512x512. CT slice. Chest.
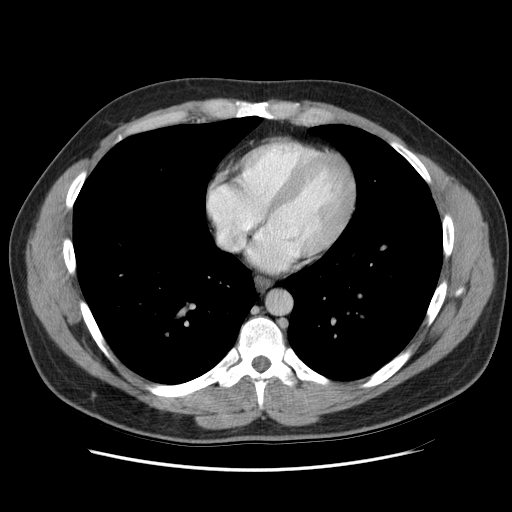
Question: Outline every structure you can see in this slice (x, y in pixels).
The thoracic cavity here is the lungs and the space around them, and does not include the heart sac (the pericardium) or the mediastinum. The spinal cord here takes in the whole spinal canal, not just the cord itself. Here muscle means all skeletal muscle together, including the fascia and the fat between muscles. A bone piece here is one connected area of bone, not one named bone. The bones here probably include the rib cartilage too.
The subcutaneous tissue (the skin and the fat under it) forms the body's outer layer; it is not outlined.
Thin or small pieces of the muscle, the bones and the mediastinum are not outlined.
Answer: Outlines (x, y in pixels):
pericardium: 272,277 289,275 321,257 339,236 355,208 355,180 351,167 344,156 327,142 310,138 291,130 269,130 250,138 236,148 218,167 209,182 206,194 206,218 210,227 215,232 218,245 226,251 239,253 249,267
spinal cord: 258,371 263,371 265,369 266,369 269,366 269,365 270,364 270,362 269,361 269,360 266,357 265,357 264,356 258,356 257,357 256,357 255,358 254,358 253,359 253,360 252,361 252,365
muscle: 207,429 242,426 267,416 286,426 310,424 383,393 451,351 475,324 495,283 488,224 473,194 399,136 362,115 325,102 266,100 297,101 301,110 325,108 336,116 332,123 351,124 385,141 402,143 428,169 440,217 447,211 451,214 455,236 451,255 443,257 438,281 448,281 445,301 430,326 424,318 408,344 413,346 412,355 396,373 371,388 360,386 368,377 332,380 326,386 298,381 293,387 272,377 266,380 264,408 260,410 248,376 229,388 216,383 185,397 166,398 147,391 144,385 153,382 114,355 110,361 95,344 79,310 78,301 84,299 77,275 67,272 61,253 63,238 72,234 72,210 64,203 67,188 81,170 90,173 118,133 142,119 179,109 187,113 184,122 215,120 201,110 205,100 242,99 191,100 151,111 120,124 90,157 68,167 48,191 26,242 27,293 35,314 58,347 89,374 151,407 185,414
bones 1: 260,409 263,408 265,380 272,376 289,386 298,380 324,385 331,383 330,379 307,366 286,343 277,325 263,316 244,322 236,343 205,373 179,384 145,385 156,395 177,397 216,382 229,387 248,375 253,379 with a hole at 258,371 263,371 265,369 266,369 269,366 269,365 270,364 270,362 269,361 269,360 266,357 265,357 264,356 258,356 257,357 256,357 255,358 254,358 253,359 253,360 252,361 252,365
bones 2: 305,126 331,123 335,116 332,112 321,108 310,108 301,111 299,109 299,103 297,102 269,103 267,101 249,102 244,100 232,102 211,99 205,101 202,105 202,110 215,119 256,115 269,119 291,118 296,124
bones 3: 115,143 120,141 125,137 135,133 138,133 142,131 146,131 150,129 154,129 166,125 183,122 185,120 186,113 180,110 178,111 173,111 161,115 154,116 137,122 128,127 123,133 118,134 115,139
bones 4: 362,387 371,387 372,386 375,386 381,383 396,372 406,362 411,355 412,353 412,350 411,349 412,348 412,346 411,345 410,346 407,346 389,362 385,364 377,371 373,373 369,377 369,378 361,385
bones 5: 110,360 112,360 112,358 113,357 113,353 111,351 111,350 109,349 109,347 107,345 86,302 84,300 81,299 79,301 79,306 80,307 80,310 81,311 84,322 87,326 93,339 95,341 98,347
bones 6: 428,184 429,184 431,182 431,178 430,177 430,175 427,169 425,167 425,166 416,156 416,155 399,142 395,140 388,140 387,142 396,151 397,151 401,155 402,155 409,162 409,163 416,170 416,171
bones 7: 428,325 430,325 431,324 437,315 444,301 445,295 446,294 446,290 447,289 447,281 446,279 442,279 438,283 434,291 434,293 431,298 429,305 427,308 427,311 426,312 426,315 425,317 426,318 426,321
bones 8: 445,257 449,256 451,253 451,251 453,247 453,237 454,236 454,226 453,225 453,221 450,214 447,212 444,214 443,217 441,219 441,221 442,222 442,230 443,231 443,243 442,244 443,245 443,255
bones 9: 68,209 72,209 73,207 73,204 74,203 74,201 87,176 87,172 85,170 83,170 81,171 73,179 73,180 71,182 68,188 68,191 66,195 66,200 65,201 66,206
bones 10: 70,274 75,274 76,272 76,264 75,263 75,255 74,254 74,251 73,250 72,241 70,238 66,237 64,238 62,242 62,253 63,254 63,257 64,258 64,261 65,262 66,267 68,270 68,272
thoracic cavity 1: 161,383 189,380 218,362 235,343 239,328 255,302 256,292 250,270 233,254 216,246 204,217 205,194 215,167 261,121 260,117 180,123 129,136 102,157 87,177 75,201 72,240 84,298 114,354 138,374
thoracic cavity 2: 342,381 369,376 412,338 437,284 443,256 442,231 428,185 402,156 365,130 345,124 325,124 311,128 310,132 329,141 348,160 356,180 356,208 324,255 284,280 294,300 285,335 287,343 307,365 331,379
torso: 190,446 359,436 441,407 481,375 499,333 506,298 509,238 505,214 493,188 474,164 391,97 356,83 317,78 200,76 143,85 91,115 50,161 21,204 9,235 8,265 25,343 42,381 63,405 108,427
mediastinum 1: 284,333 286,331 288,318 293,305 292,296 285,289 282,283 286,277 272,278 258,273 251,268 249,268 243,262 239,254 237,255 234,254 251,270 257,292 256,302 251,308 244,321 258,315 267,316 272,319
mediastinum 2: 212,177 219,164 236,147 250,137 269,129 289,129 290,130 291,129 298,133 327,141 319,136 315,136 311,134 309,132 309,129 312,127 305,127 296,125 287,120 269,120 262,118 262,121 221,160 216,167
mediastinum 3: 219,248 220,248 217,245 215,241 215,236 214,235 214,232 213,230 212,230 211,228 209,227 209,224 207,220 205,218 205,217 205,219 208,224 209,231 213,236 215,240 215,242 217,246